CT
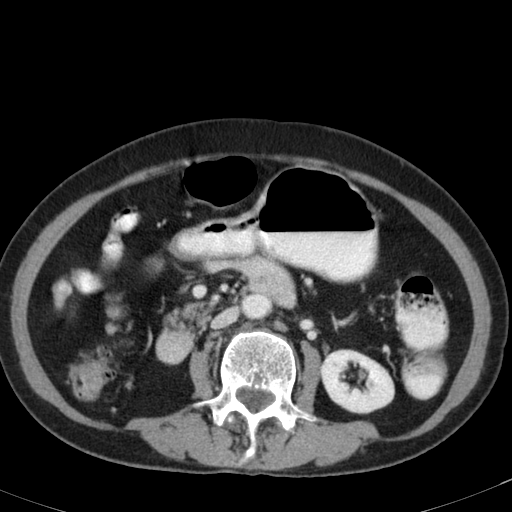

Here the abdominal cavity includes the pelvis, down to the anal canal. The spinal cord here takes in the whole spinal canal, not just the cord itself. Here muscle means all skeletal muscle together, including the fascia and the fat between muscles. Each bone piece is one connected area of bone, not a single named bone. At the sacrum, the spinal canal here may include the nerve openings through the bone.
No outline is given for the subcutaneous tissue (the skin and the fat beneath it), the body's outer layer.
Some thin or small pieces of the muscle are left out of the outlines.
The torso is outlined by [[225,116],[314,122],[372,140],[439,182],[484,235],[499,263],[508,295],[509,328],[503,363],[477,411],[435,447],[393,466],[323,477],[144,469],[110,462],[65,443],[38,423],[15,395],[0,363],[0,258],[25,217],[64,178],[109,150],[170,125]]. The spinal cord is outlined by [[243,387],[247,387],[248,388],[254,388],[255,389],[261,389],[264,391],[270,392],[272,394],[273,394],[274,396],[274,400],[270,404],[267,405],[264,408],[256,412],[252,412],[250,411],[247,408],[247,407],[237,398],[236,396],[236,392],[237,390]]. The bones are outlined by [[252,330],[274,333],[292,347],[296,378],[291,399],[318,419],[298,418],[291,431],[275,417],[262,420],[255,433],[255,455],[241,463],[250,443],[245,419],[234,412],[233,422],[219,426],[213,423],[207,405],[191,404],[219,393],[224,347],[234,334]] with a hole at [[243,387],[247,387],[248,388],[254,388],[255,389],[261,389],[264,391],[270,392],[272,394],[273,394],[274,396],[274,400],[270,404],[267,405],[264,408],[256,412],[252,412],[250,411],[247,408],[247,407],[237,398],[236,396],[236,392],[237,390]]. The muscle appears in 3 outlined pieces: piece 1: [[218,152],[287,154],[288,155],[313,157],[323,159],[350,169],[363,172],[383,181],[401,193],[425,204],[437,212],[458,233],[479,266],[486,286],[490,302],[490,309],[492,318],[490,326],[490,333],[484,358],[483,369],[480,374],[479,379],[469,394],[458,405],[448,412],[445,415],[444,418],[436,426],[425,433],[410,439],[401,441],[393,441],[392,442],[377,441],[368,445],[362,446],[358,449],[355,455],[351,458],[337,462],[328,466],[291,467],[281,470],[244,469],[237,467],[226,467],[225,466],[222,467],[221,466],[197,466],[193,464],[182,463],[177,460],[168,458],[160,454],[138,435],[133,435],[125,432],[119,432],[118,431],[99,430],[89,426],[86,426],[83,424],[80,424],[64,415],[55,406],[35,393],[31,388],[26,380],[24,373],[20,366],[19,357],[14,344],[10,322],[10,305],[11,304],[12,286],[17,269],[29,247],[41,230],[57,214],[80,197],[90,192],[105,188],[125,176],[140,169],[153,165],[157,165],[169,160],[175,160],[179,158],[193,157],[197,155],[211,154]], around a hole outlined by [[228,155],[320,166],[381,191],[452,259],[471,335],[444,399],[419,425],[383,435],[368,419],[318,416],[286,431],[270,417],[241,463],[250,439],[237,412],[219,426],[207,405],[189,403],[116,425],[56,388],[34,349],[28,306],[58,242],[111,193]]; piece 2: [[302,341],[306,341],[315,347],[319,352],[321,360],[321,363],[319,366],[319,380],[315,391],[315,397],[313,402],[313,413],[299,407],[294,403],[292,399],[292,392],[296,379],[297,377],[301,375],[303,368],[303,359],[300,353],[299,347],[299,344]]; piece 3: [[207,340],[211,340],[213,341],[215,344],[214,360],[212,363],[211,371],[216,377],[219,378],[220,389],[216,395],[210,398],[200,399],[193,401],[192,399],[192,394],[194,391],[194,386],[189,373],[190,357],[192,352],[201,350],[204,347],[204,345]]. The abdominal cavity is outlined by [[228,155],[381,191],[452,259],[471,335],[419,425],[383,435],[368,419],[316,415],[319,350],[299,342],[297,376],[293,347],[262,329],[229,338],[219,377],[213,340],[192,351],[192,402],[166,415],[116,425],[56,388],[28,306],[58,242],[111,193]].